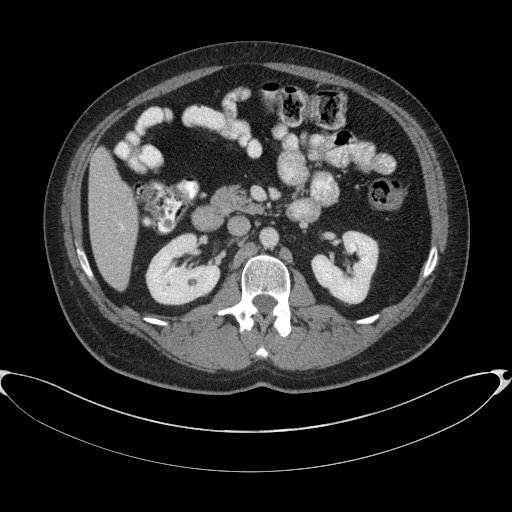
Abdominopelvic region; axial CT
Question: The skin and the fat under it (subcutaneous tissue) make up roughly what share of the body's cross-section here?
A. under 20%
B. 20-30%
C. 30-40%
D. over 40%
Answer: B. 20-30%
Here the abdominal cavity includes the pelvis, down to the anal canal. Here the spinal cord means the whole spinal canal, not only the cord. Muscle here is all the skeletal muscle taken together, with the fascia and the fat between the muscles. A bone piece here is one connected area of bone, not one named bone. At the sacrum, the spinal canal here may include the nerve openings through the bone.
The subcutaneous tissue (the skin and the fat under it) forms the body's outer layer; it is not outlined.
The torso is outlined by (207, 395) (259, 386) (309, 393) (364, 381) (413, 360) (449, 322) (469, 257) (465, 185) (435, 119) (410, 91) (379, 70) (286, 42) (208, 44) (161, 59) (120, 80) (94, 99) (67, 133) (48, 178) (42, 221) (49, 272) (66, 321) (86, 350) (112, 371) (154, 386). The muscle is outlined by (210, 373) (240, 370) (257, 362) (266, 362) (273, 365) (275, 367) (285, 370) (321, 369) (340, 363) (357, 355) (360, 352) (366, 349) (377, 341) (386, 332) (407, 317) (414, 310) (421, 299) (428, 291) (435, 278) (435, 271) (438, 267) (441, 255) (445, 249) (447, 241) (447, 234) (448, 233) (447, 194) (445, 189) (445, 183) (441, 168) (437, 159) (437, 155) (431, 142) (426, 135) (424, 130) (415, 119) (401, 107) (389, 99) (375, 92) (370, 91) (365, 87) (349, 79) (327, 71) (319, 70) (307, 66) (296, 65) (290, 63) (283, 63) (282, 62) (245, 61) (238, 63) (232, 63) (225, 65) (216, 65) (215, 66) (209, 66) (195, 69) (191, 71) (181, 73) (176, 76) (173, 76) (154, 86) (151, 86) (124, 102) (115, 110) (106, 116) (88, 134) (80, 144) (71, 161) (70, 167) (68, 170) (64, 184) (60, 193) (61, 195) (61, 223) (62, 224) (63, 243) (65, 245) (67, 256) (71, 266) (73, 268) (79, 281) (87, 291) (88, 295) (93, 301) (94, 304) (96, 305) (101, 314) (111, 322) (116, 324) (124, 330) (142, 338) (155, 348) (161, 355) (188, 367) (191, 367); inner edges: (282, 336) (291, 329) (288, 297) (294, 268) (304, 275) (316, 303) (366, 324) (409, 291) (423, 264) (422, 279) (427, 277) (438, 254) (436, 246) (429, 245) (430, 216) (417, 154) (391, 115) (350, 89) (246, 64) (146, 101) (105, 132) (82, 181) (84, 248) (75, 244) (81, 268) (90, 280) (96, 277) (110, 299) (162, 326) (168, 322) (159, 317) (209, 302) (237, 268) (241, 299) (217, 314) (232, 314) (240, 333) (257, 322) (262, 330) (270, 324), then (264, 358) (265, 358) (267, 356) (267, 355) (268, 354) (268, 353) (267, 352) (267, 351) (265, 349) (265, 348) (264, 347) (264, 346) (263, 345) (261, 345) (256, 350) (256, 351) (255, 352) (255, 354) (257, 356) (260, 356) (261, 357) (263, 357). The spinal cord is outlined by (264, 314) (267, 314) (268, 313) (270, 313) (272, 308) (276, 304) (276, 300) (271, 296) (269, 296) (268, 295) (257, 295) (256, 296) (255, 296) (253, 298) (253, 300) (252, 301) (252, 302) (253, 303) (253, 304) (258, 309) (259, 312) (260, 313) (263, 313). The abdominal cavity is outlined by (350, 319) (399, 301) (429, 248) (419, 160) (385, 110) (341, 86) (246, 64) (146, 101) (105, 132) (82, 181) (83, 243) (94, 275) (115, 303) (156, 317) (180, 315) (209, 302) (249, 257) (268, 253) (284, 262) (291, 279) (294, 268) (304, 275) (316, 303). The bones appear in 6 outlined pieces: piece 1: (282, 336) (286, 336) (291, 329) (291, 311) (288, 302) (291, 286) (290, 274) (278, 258) (268, 254) (258, 254) (249, 258) (242, 268) (241, 299) (232, 306) (219, 309) (216, 312) (218, 315) (232, 314) (239, 324) (240, 333) (250, 330) (257, 322) (262, 330) (270, 324) with a hole at (264, 314) (267, 314) (268, 313) (270, 313) (272, 308) (276, 304) (276, 300) (271, 296) (269, 296) (268, 295) (257, 295) (256, 296) (255, 296) (253, 298) (253, 300) (252, 301) (252, 302) (253, 303) (253, 304) (258, 309) (259, 312) (260, 313) (263, 313); piece 2: (422, 279) (427, 277) (433, 271) (436, 265) (436, 263) (437, 262) (437, 259) (438, 258) (438, 254) (437, 253) (437, 248) (436, 246) (433, 244) (430, 246) (430, 248) (428, 252) (428, 256) (424, 264) (424, 269) (423, 270) (423, 275) (422, 276); piece 3: (92, 281) (93, 281) (94, 278) (93, 277) (93, 273) (89, 265) (89, 262) (88, 261) (87, 256) (84, 250) (78, 244) (77, 241) (75, 241) (75, 244) (76, 245) (76, 251) (78, 255) (78, 258) (79, 259) (80, 266) (83, 270) (83, 271) (86, 274) (88, 278); piece 4: (162, 326) (167, 326) (168, 325) (168, 322) (167, 322) (164, 320) (161, 320) (158, 318) (156, 318) (155, 317) (153, 317) (152, 316) (147, 316) (146, 315) (145, 316) (143, 316) (143, 319) (145, 321) (147, 321) (152, 324) (155, 324) (156, 325) (161, 325); piece 5: (357, 324) (366, 324) (367, 323) (371, 323) (372, 322) (373, 322) (379, 316) (379, 313) (376, 313) (375, 314) (373, 314) (372, 315) (370, 315) (369, 316) (367, 316) (366, 317) (364, 317) (363, 318) (361, 318) (360, 319) (358, 319) (355, 321) (355, 323) (356, 323); piece 6: (264, 358) (265, 358) (267, 356) (267, 355) (268, 354) (268, 353) (267, 352) (267, 351) (265, 349) (265, 348) (264, 347) (264, 346) (263, 345) (261, 345) (256, 350) (256, 351) (255, 352) (255, 354) (257, 356) (260, 356) (261, 357) (263, 357).